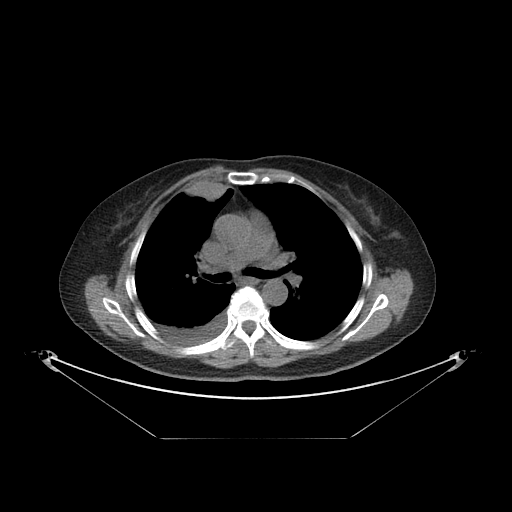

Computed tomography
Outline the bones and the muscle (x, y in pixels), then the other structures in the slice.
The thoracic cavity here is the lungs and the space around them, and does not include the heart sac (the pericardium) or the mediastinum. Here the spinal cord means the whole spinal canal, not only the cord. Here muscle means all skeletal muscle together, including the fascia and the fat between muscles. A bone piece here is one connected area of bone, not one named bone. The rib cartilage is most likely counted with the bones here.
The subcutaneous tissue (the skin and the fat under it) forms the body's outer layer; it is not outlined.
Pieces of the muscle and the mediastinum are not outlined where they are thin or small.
Outlines (x, y in pixels):
bones 1: 247,285 259,293 269,310 270,323 280,333 296,340 317,340 321,344 319,347 287,348 266,334 255,342 252,357 239,338 224,350 219,348 188,355 176,351 178,346 205,343 219,335 227,324 226,309 231,295, around a hole outlined by 248,320 250,320 251,321 253,321 254,322 254,323 255,324 255,328 250,333 247,333 243,329 243,328 242,327 242,324 245,321 247,321
bones 2: 231,171 250,171 257,174 284,173 288,175 292,175 312,187 320,195 321,198 305,187 295,183 288,183 282,181 276,181 269,183 255,183 254,184 243,184 242,185 240,184 234,184 226,180 226,175
bones 3: 381,293 383,293 386,295 388,299 388,303 387,305 381,309 377,309 374,311 368,320 354,334 350,336 347,339 345,340 342,340 342,337 348,331 356,328 367,316 376,298 378,295
bones 4: 103,297 107,297 110,299 112,299 116,301 118,303 120,307 120,309 124,315 139,331 144,333 145,336 144,337 142,337 141,336 137,335 127,324 127,323 119,315 110,312 104,306 103,304 103,301 102,300
bones 5: 135,306 137,306 139,307 143,311 143,312 145,314 147,318 151,322 153,326 157,330 158,332 158,334 162,339 163,342 161,342 155,339 145,331 143,327 138,321 135,315 135,313 134,312 134,308
bones 6: 360,296 363,296 364,297 364,302 363,303 358,314 356,316 356,317 354,319 354,320 343,332 342,332 340,334 336,334 337,331 340,328 340,324 341,323 341,322 349,313 349,312 355,304 358,297 359,297
bones 7: 145,227 147,228 147,231 144,237 144,239 142,242 142,244 140,247 140,249 139,250 135,264 130,266 129,264 129,261 130,260 130,256 131,255 132,249 134,246 136,239 138,237 142,230
bones 8: 128,273 133,273 134,274 134,280 135,281 135,289 136,290 137,297 133,301 131,301 131,300 129,298 129,297 128,296 128,294 127,293 127,291 126,290 126,288 125,287 125,279 126,278 126,275
bones 9: 365,262 369,262 371,264 371,266 372,267 372,276 371,277 371,282 370,283 370,284 369,285 369,286 368,287 368,288 365,288 362,285 362,280 363,279 363,264
bones 10: 346,221 347,221 350,224 350,225 355,231 355,232 357,234 357,235 360,239 360,241 361,242 361,245 362,246 362,251 360,253 358,251 357,249 357,247 354,241 352,239 351,236 349,234 344,224 344,223
muscle: 214,165 235,170 225,175 225,180 233,184 204,181 189,192 178,192 165,204 148,229 145,226 141,230 131,249 128,264 130,267 135,265 135,268 134,273 125,275 124,287 130,301 138,298 141,304 142,309 135,305 133,312 147,334 161,343 164,341 160,335 179,345 175,351 182,356 202,355 219,349 224,351 239,339 252,358 256,342 266,335 287,349 317,349 322,345 317,339 338,325 335,334 340,335 359,314 365,302 365,297 359,293 362,286 369,288 373,267 369,261 361,261 363,246 356,231 347,220 343,223 321,195 303,180 284,172 257,173 248,170 257,167 291,171 325,190 377,241 370,242 369,249 380,269 405,268 409,271 414,286 400,321 372,338 334,352 275,367 248,362 219,368 196,359 173,358 142,349 105,334 87,309 84,296 86,280 92,275 113,272 118,267 122,258 118,244 133,231 162,192 186,175; inner edges: 381,293 383,293 386,295 388,299 388,303 387,305 381,309 377,309 374,311 368,320 354,334 350,336 347,339 345,340 342,340 342,337 348,331 356,328 367,316 376,298 378,295, then 103,297 107,297 110,299 112,299 116,301 118,303 120,307 120,309 124,315 139,331 144,333 145,336 144,337 142,337 141,336 137,335 127,324 127,323 119,315 110,312 104,306 103,304 103,301 102,300
spinal cord: 248,320 250,320 251,321 253,321 254,322 254,323 255,324 255,328 250,333 247,333 243,329 243,328 242,327 242,324 245,321 247,321
thoracic cavity 1: 276,182 301,186 321,199 344,225 359,253 362,264 361,286 354,304 339,324 313,340 289,337 280,332 270,321 271,308 281,306 288,299 289,290 284,282 288,278 286,252 267,214 256,206 241,191 240,187
thoracic cavity 2: 204,182 227,184 233,190 214,217 209,235 197,252 197,260 206,272 227,284 234,284 235,288 225,309 226,324 222,331 205,342 180,345 161,335 144,312 136,289 136,262 149,228 166,204 178,193 189,193
torso: 272,154 307,156 349,169 384,189 409,214 426,244 436,273 432,306 416,331 369,361 329,375 289,381 224,382 180,379 142,369 108,351 71,321 59,296 59,271 81,223 99,202 141,175 177,160 251,159
mediastinum 1: 213,222 212,232 218,246 226,256 236,260 250,262 263,259 274,246 276,235 285,252 287,262 287,278 283,282 288,292 284,303 269,309 253,286 247,284 235,289 234,283 227,283 200,265 198,252 210,235
mediastinum 2: 230,185 240,186 239,187 240,191 245,196 246,196 246,197 249,200 250,200 256,207 261,210 252,206 251,207 247,207 246,208 233,209 219,215 214,221 214,219 217,214 227,203 233,194 234,189 233,187
pericardium: 252,207 263,212 269,220 275,234 275,239 274,240 273,246 266,255 261,259 256,259 250,261 249,260 236,259 226,255 219,246 218,242 214,235 213,232 214,222 219,216 230,211 238,210 239,209 246,209